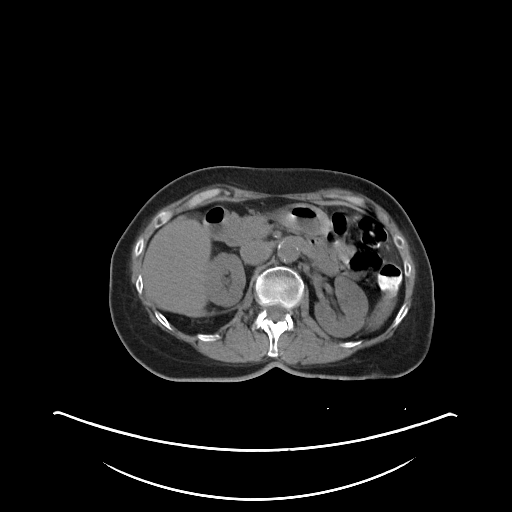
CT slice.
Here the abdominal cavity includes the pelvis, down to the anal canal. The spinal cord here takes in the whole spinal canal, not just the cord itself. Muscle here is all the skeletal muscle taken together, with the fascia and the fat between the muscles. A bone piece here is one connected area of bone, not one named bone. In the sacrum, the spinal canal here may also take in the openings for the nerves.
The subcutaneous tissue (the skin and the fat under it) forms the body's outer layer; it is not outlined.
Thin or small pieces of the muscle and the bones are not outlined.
{"abdominal_cavity":[[[275,198],[359,206],[371,211],[386,226],[402,260],[404,295],[393,320],[383,331],[356,340],[330,337],[310,314],[309,290],[302,277],[286,265],[262,270],[233,317],[213,333],[186,333],[157,309],[144,291],[142,258],[158,228],[174,216],[209,203]]],"spinal_cord":[[[277,304],[280,305],[283,308],[284,308],[286,310],[286,312],[284,314],[283,316],[283,318],[282,319],[280,319],[277,321],[274,321],[272,319],[268,317],[267,315],[267,311],[266,310],[266,307],[267,306],[272,306],[273,305],[276,305]]],"muscle":[[[135,242],[132,254],[138,257],[142,253],[142,274],[137,275],[134,287],[138,295],[145,292],[156,307],[153,312],[154,316],[163,326],[171,331],[172,325],[186,334],[195,335],[203,342],[214,342],[221,338],[218,333],[214,333],[234,317],[246,292],[252,286],[255,299],[261,308],[250,328],[252,330],[261,329],[266,333],[268,337],[266,354],[270,357],[259,362],[228,363],[215,360],[152,323],[131,283],[131,251]],[[214,184],[226,184],[240,189],[251,190],[269,194],[305,193],[306,192],[314,192],[321,189],[339,188],[362,194],[373,200],[391,216],[398,228],[405,236],[409,245],[410,253],[412,256],[416,271],[414,288],[412,294],[412,303],[409,311],[409,307],[404,302],[405,277],[409,277],[411,275],[412,266],[406,259],[403,260],[402,259],[399,250],[401,250],[405,247],[406,241],[400,234],[398,233],[392,234],[391,233],[385,224],[387,223],[388,218],[384,213],[378,212],[376,215],[371,210],[360,206],[364,203],[364,200],[358,196],[346,195],[344,197],[348,202],[358,205],[350,205],[347,203],[319,204],[308,200],[296,200],[277,197],[248,199],[243,201],[220,200],[198,205],[221,193],[222,190],[218,187],[210,188],[200,191],[189,198],[183,204],[183,206],[188,209],[177,215],[174,215],[174,212],[170,209],[160,210],[153,217],[151,221],[152,226],[156,229],[150,236],[147,242],[146,243],[145,239],[143,237],[140,237],[136,241],[137,237],[147,225],[151,218],[160,209],[195,190]],[[305,285],[309,297],[309,314],[330,338],[341,341],[338,344],[340,347],[355,347],[362,340],[377,336],[390,324],[395,328],[401,323],[389,338],[362,348],[341,360],[310,365],[288,364],[277,358],[278,340],[282,333],[295,328],[292,309],[301,301]]],"bones":[{"outer":[[274,266],[286,266],[296,271],[303,281],[304,288],[300,301],[291,309],[294,328],[292,330],[285,330],[280,334],[277,340],[278,355],[271,357],[267,354],[269,349],[267,333],[261,328],[252,329],[251,326],[262,308],[254,292],[256,277],[265,269]],"hole":[[277,304],[280,305],[283,308],[284,308],[286,310],[286,312],[284,314],[283,316],[283,318],[282,319],[280,319],[277,321],[274,321],[272,319],[268,317],[267,315],[267,311],[266,310],[266,307],[267,306],[272,306],[273,305],[276,305]]},[[215,188],[218,188],[221,190],[221,191],[219,194],[198,204],[195,207],[194,207],[193,208],[191,208],[190,209],[189,209],[184,206],[184,204],[189,199],[190,199],[196,194],[197,194],[200,192],[205,191],[206,190],[209,190],[210,189],[214,189]],[[168,210],[170,210],[173,212],[173,215],[172,216],[172,217],[168,221],[167,221],[165,223],[164,223],[159,227],[158,227],[157,228],[155,228],[153,226],[153,225],[152,224],[152,221],[153,220],[153,219],[154,218],[154,217],[160,211],[167,211]],[[403,303],[406,304],[406,305],[408,307],[408,311],[407,312],[407,313],[405,315],[405,316],[401,320],[401,321],[395,327],[393,327],[391,325],[392,324],[392,322],[394,320],[394,318],[396,316],[396,315],[397,314],[399,309],[401,307],[401,306]],[[140,238],[143,238],[144,239],[144,241],[145,242],[145,247],[144,248],[144,249],[143,250],[143,251],[138,256],[134,256],[134,255],[133,254],[133,250],[134,249],[134,247],[135,246],[135,244],[136,243],[136,242]],[[198,333],[201,333],[202,334],[218,334],[220,336],[220,338],[218,338],[217,339],[216,339],[214,341],[203,341],[202,340],[201,340],[200,339],[199,339],[196,336],[196,334],[197,334]],[[156,310],[157,310],[158,311],[159,311],[167,319],[167,320],[169,322],[169,323],[171,325],[171,326],[172,327],[172,329],[171,330],[170,330],[169,329],[168,329],[164,325],[163,325],[157,319],[157,318],[155,316],[155,314],[154,313],[154,312]],[[395,234],[398,234],[399,235],[400,235],[404,239],[404,240],[405,241],[405,244],[404,245],[404,247],[403,248],[402,248],[401,249],[399,249],[396,246],[396,245],[394,243],[394,240],[393,239],[393,235],[394,235]],[[139,274],[141,274],[142,275],[142,279],[143,280],[143,290],[142,291],[142,293],[141,294],[138,294],[138,293],[137,292],[137,291],[136,290],[136,288],[135,287],[135,283],[136,282],[136,280],[137,279],[137,277],[138,276],[138,275]],[[357,340],[361,340],[361,343],[360,343],[359,344],[358,344],[357,345],[356,345],[355,346],[353,346],[352,347],[343,347],[342,346],[340,346],[340,345],[339,344],[340,343],[341,343],[342,342],[346,342],[347,341],[356,341]],[[378,213],[381,213],[382,214],[384,214],[386,216],[386,217],[387,218],[387,221],[386,222],[386,223],[383,223],[381,221],[380,221],[380,220],[378,218],[378,216],[377,215],[377,214]]],"torso":[[[219,165],[329,169],[365,178],[390,193],[415,227],[432,270],[435,319],[431,344],[423,361],[408,373],[389,379],[306,378],[273,367],[258,376],[237,382],[170,381],[136,361],[118,337],[110,316],[108,286],[113,249],[135,214],[157,190],[187,172]]]}